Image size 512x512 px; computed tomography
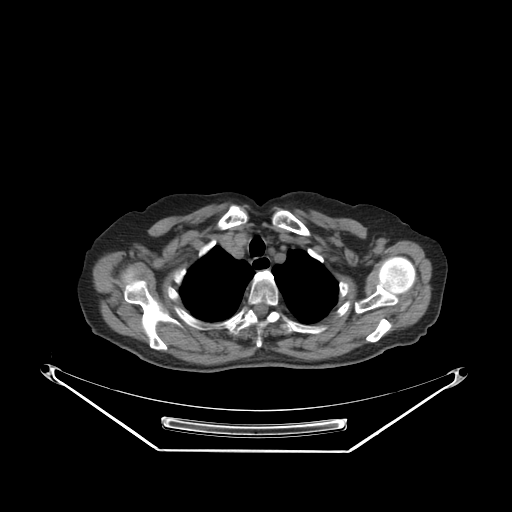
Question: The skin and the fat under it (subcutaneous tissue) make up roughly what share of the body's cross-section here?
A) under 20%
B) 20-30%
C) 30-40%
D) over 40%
Answer: B) 20-30%
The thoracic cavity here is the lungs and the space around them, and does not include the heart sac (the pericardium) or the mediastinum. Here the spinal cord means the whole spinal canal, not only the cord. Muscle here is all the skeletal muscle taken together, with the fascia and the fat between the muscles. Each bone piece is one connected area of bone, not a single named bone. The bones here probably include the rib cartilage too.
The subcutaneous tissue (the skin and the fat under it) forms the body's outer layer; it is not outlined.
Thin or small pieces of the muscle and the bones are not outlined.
{"spinal_cord":[[[260,303],[264,303],[266,305],[267,305],[268,306],[268,307],[269,308],[268,309],[268,312],[267,313],[267,314],[263,318],[259,318],[258,317],[258,316],[255,313],[255,312],[254,311],[254,306],[255,306],[257,304],[259,304]]],"torso":[[[296,190],[318,192],[350,204],[373,204],[400,218],[378,275],[398,346],[358,363],[330,368],[267,366],[193,372],[146,362],[93,333],[107,299],[109,286],[104,230],[118,217],[132,210],[140,211],[160,197],[173,193],[235,191],[261,204],[272,197]]],"thoracic_cavity":[[[216,244],[218,244],[235,259],[245,260],[253,268],[254,274],[253,275],[251,288],[247,298],[243,305],[235,314],[228,318],[219,321],[205,321],[195,317],[186,309],[182,302],[178,290],[185,275],[187,273],[187,270],[199,258],[201,258],[213,248]],[[289,248],[305,250],[312,258],[317,260],[320,263],[324,264],[338,282],[339,301],[337,306],[332,312],[317,324],[305,324],[298,322],[290,319],[281,312],[279,290],[275,283],[274,275],[271,271],[271,268],[275,264],[284,263],[287,257],[286,252]]],"left_arm":[[[401,219],[404,222],[409,224],[413,229],[417,230],[423,234],[430,236],[439,242],[447,258],[448,272],[443,294],[441,309],[437,320],[434,324],[427,329],[426,334],[422,335],[415,343],[409,345],[399,346],[384,295],[384,292],[379,278],[379,275]]],"muscle":[{"outer":[[225,201],[261,212],[277,204],[313,209],[360,222],[368,230],[366,242],[382,237],[418,243],[432,263],[425,313],[413,325],[386,335],[392,323],[381,317],[364,338],[368,343],[326,359],[259,349],[249,357],[203,365],[161,351],[168,346],[157,324],[183,325],[163,309],[144,279],[124,271],[123,299],[141,307],[148,345],[114,331],[98,309],[92,284],[96,260],[134,242],[153,250],[156,240],[147,230],[155,222]],"holes":[[[250,226],[265,226],[286,235],[306,251],[311,248],[323,257],[324,265],[338,282],[348,283],[347,293],[317,324],[326,325],[324,331],[288,333],[280,326],[279,319],[263,328],[262,343],[257,347],[253,324],[234,334],[226,328],[197,329],[178,317],[174,306],[186,308],[181,299],[173,300],[167,293],[168,286],[177,291],[180,287],[173,273],[182,267],[187,270],[199,258],[199,249],[211,239],[217,244],[226,233]],[[391,256],[404,256],[412,262],[416,270],[415,282],[406,292],[399,296],[398,302],[396,304],[391,306],[382,306],[365,311],[362,313],[357,313],[354,309],[353,304],[354,302],[369,296],[376,290],[376,285],[378,281],[378,270],[383,261],[386,258]],[[280,209],[286,209],[287,210],[289,210],[306,226],[306,227],[310,232],[310,235],[309,236],[301,235],[300,234],[298,234],[297,233],[295,233],[294,232],[292,232],[291,231],[286,230],[283,228],[280,228],[273,225],[272,223],[272,216],[276,211]],[[233,204],[238,205],[246,212],[248,216],[248,219],[247,221],[243,224],[241,224],[240,225],[237,225],[236,226],[233,226],[230,228],[228,228],[224,230],[221,230],[219,229],[217,227],[217,222],[218,220],[227,211],[228,208],[231,205]],[[346,301],[349,301],[350,302],[350,306],[349,307],[349,308],[347,310],[347,311],[343,315],[342,315],[341,316],[337,316],[337,315],[335,313],[335,311],[343,303],[344,303]]]}],"right_arm":[[[103,231],[108,286],[107,287],[107,292],[106,293],[106,299],[101,309],[101,311],[95,324],[94,329],[92,332],[84,319],[83,314],[81,311],[81,309],[77,300],[77,297],[76,296],[76,281],[82,269],[84,254],[86,250],[91,245],[94,239]]],"mediastinum":[[[250,226],[265,226],[278,233],[282,233],[303,249],[289,247],[285,252],[286,257],[283,263],[275,263],[270,269],[261,269],[257,270],[255,272],[254,268],[245,259],[235,258],[218,243],[226,233],[231,231],[244,229],[246,227]]],"bones":[{"outer":[[261,270],[270,270],[273,275],[280,312],[305,325],[326,325],[320,333],[288,333],[280,326],[279,319],[263,328],[262,343],[257,347],[253,324],[235,334],[226,328],[201,330],[181,320],[173,308],[183,308],[205,322],[228,319],[244,305],[254,275]],"hole":[[260,303],[264,303],[266,305],[267,305],[268,306],[268,307],[269,308],[268,309],[268,312],[267,313],[267,314],[263,318],[259,318],[258,317],[258,316],[255,313],[255,312],[254,311],[254,306],[255,306],[257,304],[259,304]]},[[391,256],[404,256],[412,262],[416,270],[415,282],[406,292],[399,296],[398,302],[396,304],[391,306],[382,306],[365,311],[362,313],[357,313],[354,309],[353,304],[354,302],[369,296],[376,290],[376,285],[378,281],[378,270],[383,261],[386,258]],[[124,272],[131,272],[135,279],[144,280],[149,293],[161,304],[162,309],[181,323],[182,327],[172,322],[159,321],[156,324],[156,332],[167,346],[166,350],[156,350],[149,346],[149,339],[141,322],[142,307],[128,303],[124,299],[125,283],[121,277]],[[280,209],[286,209],[287,210],[289,210],[306,226],[306,227],[310,232],[310,235],[309,236],[301,235],[300,234],[298,234],[297,233],[295,233],[294,232],[292,232],[291,231],[286,230],[283,228],[280,228],[273,225],[272,223],[272,216],[276,211]],[[233,204],[238,205],[246,212],[248,216],[248,219],[247,221],[243,224],[241,224],[240,225],[237,225],[236,226],[233,226],[230,228],[228,228],[224,230],[221,230],[219,229],[217,227],[217,222],[218,220],[227,211],[228,208],[231,205]],[[381,318],[384,318],[385,319],[388,320],[391,323],[391,327],[390,328],[390,329],[389,330],[388,330],[382,336],[382,337],[377,341],[376,341],[375,342],[367,342],[366,341],[365,338],[367,336],[367,335],[368,335],[376,327],[379,320]],[[213,238],[214,238],[216,240],[216,243],[214,245],[214,246],[213,247],[212,247],[205,254],[204,254],[201,257],[198,257],[198,252],[199,251],[199,249],[204,244],[205,244],[207,242],[208,242],[211,239],[212,239]],[[182,267],[184,267],[186,269],[186,273],[184,275],[184,276],[182,279],[182,281],[181,282],[181,283],[180,284],[180,285],[178,285],[175,282],[175,281],[173,278],[173,273],[177,269],[179,269]],[[346,301],[349,301],[350,302],[350,306],[349,307],[349,308],[347,310],[347,311],[343,315],[342,315],[341,316],[337,316],[337,315],[335,313],[335,311],[343,303],[344,303]],[[168,286],[171,286],[173,288],[174,288],[178,292],[178,293],[179,294],[179,296],[180,297],[180,299],[179,300],[173,300],[172,299],[171,299],[169,297],[169,296],[168,295],[168,294],[167,293],[167,287]],[[308,248],[311,248],[313,250],[314,250],[316,252],[317,252],[319,254],[320,254],[323,257],[323,258],[324,259],[324,262],[323,263],[322,263],[321,262],[320,262],[317,259],[316,259],[315,258],[312,257],[308,253],[308,252],[307,251],[307,249]]]}